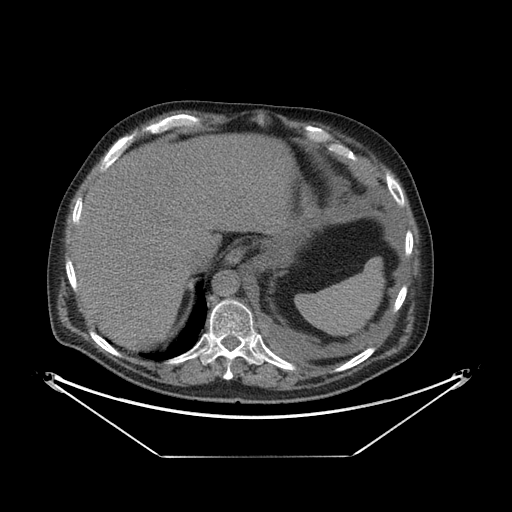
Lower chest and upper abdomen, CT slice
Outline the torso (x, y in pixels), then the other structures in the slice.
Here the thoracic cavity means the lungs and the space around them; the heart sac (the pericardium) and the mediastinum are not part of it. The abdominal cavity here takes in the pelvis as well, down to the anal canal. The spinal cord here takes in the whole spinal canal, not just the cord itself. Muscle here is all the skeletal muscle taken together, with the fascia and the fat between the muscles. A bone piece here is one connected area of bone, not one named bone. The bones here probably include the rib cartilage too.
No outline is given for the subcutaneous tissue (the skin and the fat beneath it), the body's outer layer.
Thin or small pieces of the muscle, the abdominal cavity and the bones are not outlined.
{"torso":[[[182,99],[334,111],[370,126],[396,148],[419,192],[431,230],[434,255],[428,329],[418,349],[407,360],[355,388],[324,398],[269,404],[212,402],[170,396],[136,385],[55,339],[47,308],[46,267],[55,215],[66,188],[92,147],[112,125],[146,106]]],"abdominal_cavity":[[[245,116],[261,127],[275,118],[300,134],[286,140],[313,171],[323,227],[373,218],[402,254],[377,329],[346,347],[322,349],[272,322],[258,287],[224,264],[197,284],[185,326],[165,350],[143,353],[106,339],[84,313],[72,261],[86,194],[136,142]]],"mediastinum":[[[224,265],[232,266],[240,275],[241,284],[245,291],[245,296],[248,307],[245,304],[246,303],[245,302],[243,303],[241,300],[238,301],[239,300],[238,299],[227,297],[218,301],[211,308],[208,314],[207,300],[203,283],[217,268]]],"spinal_cord":[[[230,335],[231,335],[232,336],[234,336],[239,341],[239,344],[237,346],[236,346],[233,349],[232,349],[231,350],[229,350],[222,343],[222,340],[224,338],[225,338],[226,337],[227,337],[228,336],[229,336]]],"thoracic_cavity":[[[301,134],[308,140],[320,144],[334,157],[346,163],[343,164],[360,184],[374,189],[379,185],[389,194],[397,212],[403,238],[402,253],[386,238],[383,226],[373,217],[365,216],[350,222],[323,226],[314,171],[302,151],[287,140],[289,137]],[[240,271],[257,287],[259,304],[263,313],[271,322],[278,328],[285,330],[292,336],[308,344],[313,344],[322,350],[346,348],[362,338],[371,336],[376,330],[377,334],[369,346],[348,359],[324,364],[295,364],[271,350],[256,329],[255,317],[250,312]],[[199,283],[202,284],[206,300],[207,308],[207,318],[205,325],[206,329],[205,331],[201,333],[197,341],[186,351],[164,360],[154,360],[125,354],[107,340],[123,349],[138,351],[143,354],[165,351],[178,337],[186,326],[196,301],[197,294],[196,287]]],"muscle":[{"outer":[[178,109],[226,115],[243,111],[265,110],[290,119],[320,122],[354,138],[392,170],[406,193],[420,238],[420,277],[415,284],[413,329],[404,347],[350,375],[315,387],[274,390],[246,385],[239,380],[232,379],[234,375],[231,364],[237,357],[243,358],[250,365],[259,366],[266,362],[286,371],[296,370],[296,365],[324,365],[346,360],[331,371],[334,373],[350,369],[370,357],[376,350],[375,346],[370,345],[378,334],[380,323],[392,302],[402,264],[402,255],[404,253],[406,257],[411,255],[414,236],[408,228],[404,237],[402,235],[394,201],[402,208],[405,205],[405,196],[395,177],[389,171],[384,174],[389,193],[379,184],[374,188],[360,183],[348,166],[344,164],[347,163],[338,158],[356,162],[357,156],[344,144],[332,141],[333,136],[325,129],[306,124],[302,128],[304,135],[286,127],[275,117],[272,118],[269,125],[264,125],[265,122],[261,114],[256,116],[255,121],[251,121],[245,115],[222,124],[205,127],[200,117],[180,112],[149,123],[143,126],[139,132],[134,129],[125,134],[159,114]],"hole":[[403,285],[406,285],[407,286],[407,293],[406,294],[405,299],[404,300],[404,301],[402,303],[402,305],[399,308],[399,309],[396,312],[393,312],[392,309],[393,308],[393,304],[394,303],[395,298],[396,297],[396,296],[397,295],[400,288]]},[[109,147],[100,161],[98,170],[101,173],[83,201],[80,195],[74,202],[71,220],[77,228],[72,259],[67,257],[64,262],[68,283],[77,292],[83,313],[95,330],[89,329],[88,334],[98,346],[119,358],[123,357],[123,353],[131,357],[163,361],[166,365],[199,358],[205,366],[223,357],[226,359],[223,379],[187,386],[150,379],[113,361],[63,326],[59,320],[56,302],[62,271],[62,239],[69,204],[86,175]]],"bones":[{"outer":[[227,298],[249,308],[255,329],[267,347],[293,363],[296,369],[286,370],[266,361],[250,364],[237,356],[230,364],[233,376],[227,380],[223,378],[227,362],[223,356],[205,365],[199,357],[177,364],[164,362],[186,352],[198,341],[207,329],[212,308]],"hole":[[230,335],[231,335],[232,336],[234,336],[239,341],[239,344],[237,346],[236,346],[233,349],[232,349],[231,350],[229,350],[222,343],[222,340],[224,338],[225,338],[226,337],[227,337],[228,336],[229,336]]},[[180,113],[185,113],[200,118],[202,127],[180,126],[158,134],[152,134],[149,132],[142,134],[139,133],[134,141],[105,171],[101,172],[99,170],[101,161],[112,144],[118,138],[123,135],[130,134],[134,130],[139,133],[143,127],[149,124],[165,117]],[[306,125],[311,125],[319,127],[328,132],[332,136],[331,140],[332,142],[340,143],[350,149],[356,156],[357,160],[353,161],[342,157],[338,157],[334,153],[328,151],[326,148],[326,144],[325,143],[319,143],[308,139],[305,135],[305,131],[303,128]],[[386,172],[389,172],[394,177],[394,178],[398,182],[398,183],[400,185],[402,189],[403,195],[404,196],[404,205],[402,207],[400,207],[395,202],[395,201],[393,199],[392,196],[390,194],[387,188],[387,185],[386,184],[386,180],[385,179],[385,174]],[[371,346],[372,347],[375,347],[375,350],[374,352],[370,356],[369,356],[363,361],[360,362],[358,364],[350,368],[348,368],[342,371],[339,371],[338,372],[334,372],[332,371],[336,367],[344,363],[353,356],[363,351],[366,348],[370,347]],[[89,330],[93,330],[95,331],[103,338],[104,338],[110,344],[111,344],[121,353],[122,355],[122,357],[119,357],[118,356],[116,356],[108,352],[106,350],[102,348],[99,345],[98,345],[92,339],[92,338],[90,336],[89,334]],[[67,258],[71,260],[72,262],[72,264],[73,265],[73,268],[75,272],[75,277],[76,278],[76,281],[77,282],[77,291],[76,292],[73,290],[71,285],[69,283],[69,281],[68,280],[68,278],[66,274],[66,270],[65,269],[65,262]],[[403,285],[406,285],[407,286],[407,293],[406,294],[405,299],[404,300],[404,301],[402,303],[402,305],[399,308],[399,309],[396,312],[393,312],[392,309],[393,308],[393,304],[394,303],[395,298],[396,297],[396,296],[397,295],[400,288]],[[408,229],[411,231],[411,232],[412,233],[412,235],[413,236],[413,246],[412,247],[412,251],[411,252],[411,253],[410,254],[410,255],[409,256],[406,256],[405,255],[405,253],[404,252],[404,238],[405,237],[405,233],[406,232],[406,231]],[[80,196],[82,198],[82,208],[81,209],[81,214],[80,215],[80,218],[79,219],[79,222],[77,224],[75,224],[73,222],[73,221],[72,220],[72,212],[73,211],[73,208],[74,207],[74,205],[75,204],[75,202],[76,201],[77,198]]]}